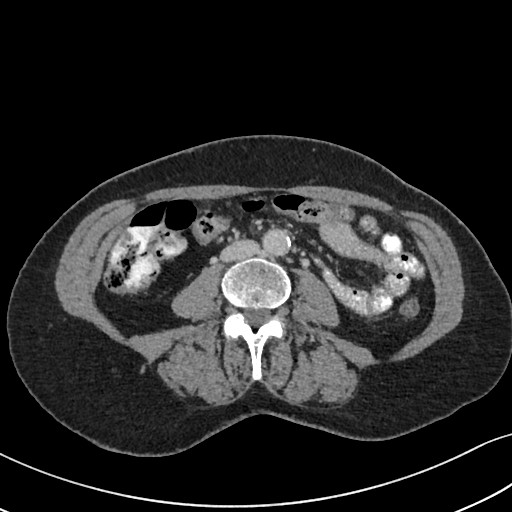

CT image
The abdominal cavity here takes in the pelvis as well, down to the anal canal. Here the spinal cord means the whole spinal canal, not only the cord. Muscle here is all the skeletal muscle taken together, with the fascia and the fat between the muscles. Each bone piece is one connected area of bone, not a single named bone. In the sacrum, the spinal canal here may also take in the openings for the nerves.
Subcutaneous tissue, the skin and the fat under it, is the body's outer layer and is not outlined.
{"torso":[[[252,134],[310,137],[356,150],[440,201],[472,231],[511,299],[511,356],[503,375],[488,393],[445,418],[386,440],[350,439],[258,414],[186,450],[153,457],[94,445],[40,407],[13,365],[6,312],[18,272],[43,233],[92,186],[118,173],[184,148]]],"muscle":[{"outer":[[204,184],[244,185],[253,187],[263,187],[264,186],[292,187],[297,185],[333,186],[339,188],[354,190],[368,195],[371,195],[385,201],[398,209],[415,211],[431,217],[446,231],[447,234],[451,238],[451,240],[456,248],[461,263],[462,277],[465,291],[462,303],[463,312],[459,323],[444,336],[412,357],[396,362],[384,362],[379,364],[369,365],[364,368],[361,371],[361,375],[359,378],[359,382],[356,388],[357,389],[355,392],[355,395],[347,403],[337,408],[321,409],[320,408],[295,406],[286,401],[273,396],[263,386],[256,384],[253,385],[240,398],[235,401],[226,405],[216,407],[206,407],[207,406],[206,405],[196,406],[186,402],[183,399],[180,399],[164,383],[158,375],[156,369],[154,367],[152,367],[140,353],[126,345],[115,341],[100,330],[93,323],[87,321],[85,319],[71,315],[64,310],[61,306],[55,290],[54,279],[59,259],[69,236],[79,222],[86,215],[97,207],[116,199],[137,197],[156,189],[161,189],[168,187],[177,187],[178,186],[188,186],[189,185],[203,185]],"hole":[[259,191],[401,222],[433,283],[423,330],[386,352],[342,338],[332,331],[340,315],[328,287],[292,266],[294,285],[277,313],[281,338],[266,340],[253,380],[246,341],[223,334],[231,306],[221,263],[171,299],[189,323],[118,329],[95,293],[135,212]]}],"abdominal_cavity":[[[259,191],[401,222],[433,283],[423,330],[396,351],[372,352],[332,331],[338,308],[313,272],[290,267],[293,288],[281,264],[259,255],[223,274],[221,263],[206,265],[178,291],[171,310],[189,323],[118,329],[95,293],[106,254],[135,212],[156,201]]],"bones":[{"outer":[[257,256],[281,265],[290,277],[292,289],[289,298],[277,313],[281,338],[271,336],[266,340],[261,352],[262,377],[260,380],[253,380],[251,355],[246,341],[241,336],[227,339],[223,334],[223,321],[231,312],[231,306],[220,285],[225,271],[230,266]],"hole":[[246,308],[253,308],[254,309],[258,309],[259,308],[266,308],[267,309],[269,309],[271,310],[271,312],[272,314],[271,315],[271,317],[266,322],[263,323],[258,327],[256,328],[254,328],[252,326],[251,326],[245,320],[245,317],[243,314],[243,310]]}],"spinal_cord":[[[246,308],[253,308],[254,309],[258,309],[259,308],[266,308],[267,309],[269,309],[271,310],[271,312],[272,314],[271,315],[271,317],[266,322],[263,323],[258,327],[256,328],[254,328],[252,326],[251,326],[245,320],[245,317],[243,314],[243,310]]]}